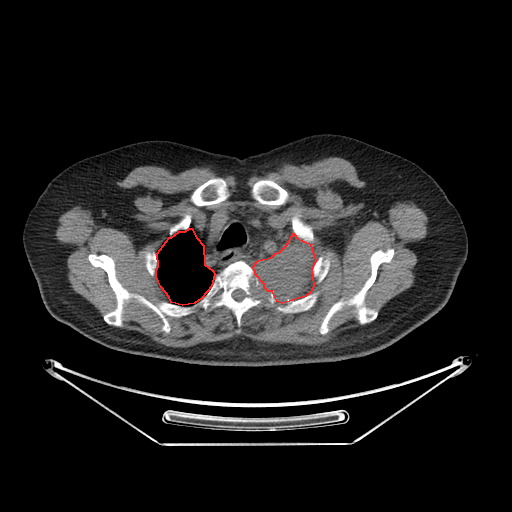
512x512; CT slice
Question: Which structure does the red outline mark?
Answer: red: thoracic cavity.
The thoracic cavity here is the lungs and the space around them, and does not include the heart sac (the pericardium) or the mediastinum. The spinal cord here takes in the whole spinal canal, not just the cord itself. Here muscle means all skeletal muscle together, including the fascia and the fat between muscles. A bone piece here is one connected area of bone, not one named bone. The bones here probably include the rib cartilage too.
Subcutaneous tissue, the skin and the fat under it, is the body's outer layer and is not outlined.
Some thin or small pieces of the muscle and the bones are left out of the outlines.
Outlines:
thoracic cavity 1: 189,228 191,228 196,237 203,245 204,264 212,270 215,274 213,277 211,286 201,298 194,303 182,305 171,302 169,297 161,287 158,281 156,276 156,271 158,266 157,253 169,237 171,237 179,231 185,231
thoracic cavity 2: 293,233 297,238 311,244 310,245 315,260 311,269 313,285 310,292 305,296 282,303 277,301 272,291 268,291 264,287 264,284 255,274 255,271 252,267 258,260 271,257 275,253 279,252 286,245
torso: 318,133 353,137 415,162 442,187 465,226 467,259 448,301 436,314 393,344 365,356 331,362 268,366 202,365 106,347 58,321 46,309 24,251 22,232 37,198 64,168 88,156 145,140 171,140 243,158
muscle 1: 330,156 351,162 366,184 348,185 342,193 362,225 386,218 396,201 412,201 428,218 414,283 379,313 367,306 365,298 379,267 395,254 392,247 376,249 359,290 334,302 321,320 318,332 326,335 335,313 345,306 355,308 361,325 335,340 310,346 238,336 171,347 120,328 124,304 131,299 151,309 166,334 171,330 167,316 179,318 199,309 210,312 224,306 238,327 243,315 260,304 284,314 311,309 320,294 311,292 314,279 319,284 325,278 331,259 329,255 315,259 313,228 298,213 290,222 283,207 202,208 193,219 185,212 169,227 157,252 144,252 146,270 169,301 154,303 129,291 106,253 91,252 87,259 106,273 115,297 113,309 102,319 70,287 56,245 58,218 79,205 91,211 97,224 138,236 142,223 133,216 138,212 134,190 116,184 134,168 156,165 178,173 210,167 245,181 284,163 310,164, around holes outlined by 213,177 221,177 224,179 226,182 226,185 229,191 229,197 224,201 222,201 219,203 217,203 216,204 212,204 211,205 206,205 205,206 197,206 192,203 190,200 190,196 192,192 200,185 204,183 207,180 and by 262,179 272,179 277,183 278,183 288,192 288,194 289,196 285,204 283,204 282,205 279,205 278,206 277,205 268,205 267,204 262,204 258,201 255,200 252,197 252,192 251,191 252,190 252,187 254,183
muscle 2: 262,284 263,284 263,287 264,288 265,288 265,289 267,291 267,293 266,293 263,296 263,297 256,297 256,295 257,295 258,294 258,293 261,290 261,289 262,288
spinal cord: 237,289 241,289 245,293 245,296 241,300 240,300 239,301 238,301 237,300 236,300 234,298 233,298 233,297 232,296 232,293 235,290 236,290
mediastinum: 229,206 251,206 263,211 271,211 283,208 287,220 291,225 292,233 285,245 279,251 275,252 271,256 262,257 258,259 252,266 242,259 236,260 216,273 205,264 204,245 190,226 192,220 202,209 215,210
bones 1: 91,253 111,257 119,282 129,292 154,304 194,304 208,292 216,274 240,260 253,269 261,283 256,298 272,292 276,303 284,304 314,291 319,294 311,308 296,313 257,304 242,315 240,326 224,305 210,311 199,308 179,317 167,315 168,333 161,330 163,322 151,308 131,298 123,304 122,325 117,327 103,319 116,307 116,297 107,273 89,261; inner edge: 237,289 241,289 245,293 245,296 241,300 240,300 239,301 238,301 237,300 236,300 234,298 233,298 233,297 232,296 232,293 235,290 236,290
bones 2: 388,248 392,248 394,254 389,262 380,264 376,278 364,298 367,307 378,311 377,317 362,325 356,318 356,308 345,305 330,318 328,332 321,334 319,327 331,306 360,290 371,273 371,255 376,250 384,251
bones 3: 213,177 221,177 224,179 226,182 226,185 229,191 229,197 224,201 222,201 219,203 217,203 216,204 212,204 211,205 206,205 205,206 197,206 192,203 190,200 190,196 192,192 200,185 204,183 207,180
bones 4: 262,179 272,179 277,183 278,183 288,192 288,194 289,196 285,204 283,204 282,205 279,205 278,206 277,205 268,205 267,204 262,204 258,201 255,200 252,197 252,192 251,191 252,190 252,187 254,183
bones 5: 295,214 298,214 299,215 299,217 304,222 308,224 312,228 312,231 313,232 313,242 312,243 309,243 308,242 306,242 304,241 301,238 299,237 297,237 293,232 292,230 292,225 291,224 291,218 292,216
bones 6: 320,256 329,256 329,258 330,259 330,265 329,266 329,269 328,270 326,275 324,277 324,278 319,283 316,283 316,279 313,277 313,275 312,274 312,269 313,268 313,266 314,265 315,262 317,260 317,259
bones 7: 185,213 189,213 191,215 191,222 190,223 190,225 189,226 189,227 185,230 179,230 175,233 174,233 171,236 169,236 169,229 170,228 170,227 173,224 176,223 179,220 180,220 183,217 183,216
bones 8: 147,250 153,250 156,253 156,255 157,256 157,266 156,267 156,270 155,271 155,275 154,276 152,276 149,273 149,272 147,270 147,269 146,268 146,266 145,265 145,252